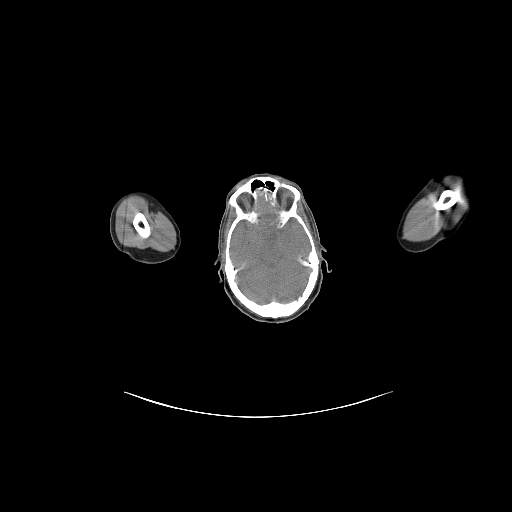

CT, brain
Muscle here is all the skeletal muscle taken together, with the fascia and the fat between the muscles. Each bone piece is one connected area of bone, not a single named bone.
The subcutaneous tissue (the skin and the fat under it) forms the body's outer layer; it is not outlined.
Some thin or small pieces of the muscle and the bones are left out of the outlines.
The bones appear in 3 outlined pieces: piece 1: [[259,176],[269,176],[275,178],[299,191],[300,198],[297,203],[297,212],[312,236],[320,261],[315,286],[306,301],[294,313],[282,317],[261,316],[245,307],[231,291],[224,272],[226,237],[236,215],[234,208],[228,204],[228,201],[239,186],[249,179]]; inner edges: [[261,199],[276,214],[278,229],[282,229],[291,218],[295,219],[310,246],[305,257],[297,257],[310,269],[305,285],[300,294],[289,301],[272,299],[259,303],[247,296],[236,280],[241,268],[235,266],[230,255],[232,235],[240,221],[250,224],[260,221]], then [[280,189],[286,189],[287,190],[288,190],[290,192],[291,192],[292,193],[292,194],[293,195],[293,198],[291,200],[291,202],[290,203],[290,205],[287,208],[283,208],[282,207],[281,207],[280,206],[280,205],[279,204],[279,201],[278,200],[278,191]], then [[243,193],[246,193],[247,194],[248,194],[250,196],[252,196],[253,197],[253,206],[251,208],[251,209],[248,212],[247,212],[246,211],[245,212],[244,212],[243,211],[243,209],[237,203],[237,198],[241,194],[242,194]]; piece 2: [[457,186],[460,188],[460,193],[461,194],[461,197],[459,201],[457,201],[455,203],[455,204],[454,204],[451,207],[445,210],[441,210],[440,211],[439,210],[435,210],[433,206],[433,203],[434,201],[435,201],[439,197],[441,192],[445,189],[453,189]]; piece 3: [[138,211],[139,212],[141,212],[144,215],[144,216],[149,225],[149,227],[150,228],[150,234],[149,235],[149,236],[146,238],[142,238],[139,235],[139,234],[137,232],[136,229],[134,227],[134,226],[133,225],[133,223],[132,222],[135,213]]. The muscle appears in 4 outlined pieces: piece 1: [[132,195],[138,195],[145,198],[147,200],[149,200],[171,222],[176,234],[176,243],[173,250],[170,250],[165,252],[154,252],[150,250],[138,249],[134,247],[127,247],[124,246],[119,242],[115,232],[115,215],[116,214],[116,210],[120,203],[125,198]], around a hole outlined by [[138,211],[139,212],[141,212],[144,215],[144,216],[149,225],[149,227],[150,228],[150,234],[149,235],[149,236],[146,238],[142,238],[139,235],[139,234],[137,232],[136,229],[134,227],[134,226],[133,225],[133,223],[132,222],[135,213]]; piece 2: [[448,176],[453,178],[458,177],[461,179],[464,184],[463,188],[466,191],[469,200],[469,205],[464,210],[459,219],[455,223],[439,231],[428,240],[411,242],[402,238],[402,228],[409,210],[418,200],[425,196],[429,191],[433,190],[443,181],[445,177]] with a hole at [[457,186],[460,188],[460,193],[461,194],[461,197],[459,201],[457,201],[455,203],[455,204],[454,204],[451,207],[445,210],[441,210],[440,211],[439,210],[435,210],[433,206],[433,203],[434,201],[435,201],[439,197],[441,192],[445,189],[453,189]]; piece 3: [[230,206],[233,208],[234,210],[234,214],[235,215],[228,228],[228,230],[226,233],[226,236],[225,237],[224,264],[223,265],[223,268],[222,260],[221,259],[221,251],[222,250],[221,245],[223,240],[223,229],[224,228],[225,222],[228,217],[229,207]]; piece 4: [[300,200],[301,201],[302,207],[309,220],[311,228],[313,230],[314,234],[315,235],[315,239],[316,240],[316,242],[319,249],[319,258],[313,236],[308,226],[304,221],[303,218],[298,212],[298,203]]. The left arm is outlined by [[445,170],[454,170],[460,172],[473,180],[479,182],[480,189],[473,202],[471,209],[459,228],[451,236],[440,241],[435,246],[425,251],[417,253],[406,251],[400,246],[396,239],[396,228],[402,213],[412,198],[422,188],[427,181],[436,174]]. The brain is outlined by [[261,199],[276,214],[278,229],[282,229],[291,218],[295,219],[310,246],[305,257],[297,257],[310,269],[305,285],[300,294],[289,301],[272,299],[259,303],[247,296],[236,280],[241,268],[235,266],[230,255],[232,235],[240,221],[250,224],[260,221]]. The right arm is outlined by [[133,190],[142,190],[146,191],[153,195],[171,214],[180,230],[181,243],[179,249],[176,254],[167,261],[155,264],[146,264],[134,261],[130,259],[124,253],[119,251],[112,242],[109,232],[109,219],[110,218],[111,209],[115,202],[122,195]]. The head is outlined by [[263,172],[284,176],[300,186],[313,213],[320,241],[326,249],[323,256],[331,270],[328,272],[327,265],[322,264],[323,279],[319,294],[309,309],[283,323],[255,321],[237,309],[219,282],[219,266],[214,264],[218,253],[218,229],[227,193],[243,177]].